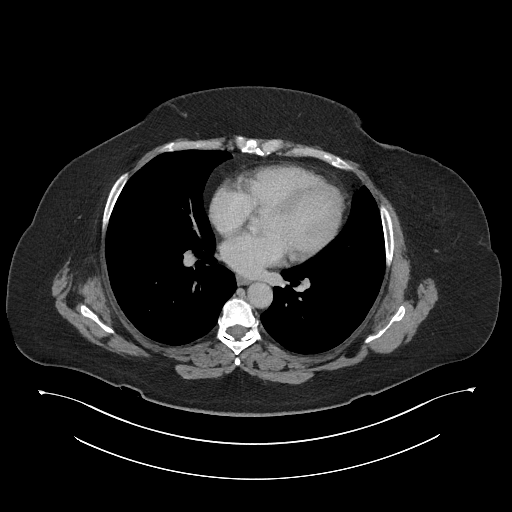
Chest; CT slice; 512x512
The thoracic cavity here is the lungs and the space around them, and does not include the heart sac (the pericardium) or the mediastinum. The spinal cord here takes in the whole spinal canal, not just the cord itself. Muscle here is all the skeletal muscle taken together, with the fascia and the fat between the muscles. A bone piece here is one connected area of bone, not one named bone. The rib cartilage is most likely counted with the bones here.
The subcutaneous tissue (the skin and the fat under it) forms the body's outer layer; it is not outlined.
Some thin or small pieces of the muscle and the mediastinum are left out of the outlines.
The torso is outlined by 239,85 291,88 333,99 355,111 374,139 432,157 466,182 484,212 501,272 495,325 478,351 344,405 285,415 230,416 155,403 129,387 114,386 74,369 37,363 18,349 6,311 11,259 58,172 172,97. The spinal cord is outlined by 235,325 239,325 240,326 242,326 243,327 244,327 246,329 246,331 245,332 244,335 243,336 242,336 239,339 235,339 235,338 232,335 231,335 230,334 230,333 228,331 228,330 231,327 232,327. The thoracic cavity appears in 2 outlined pieces: piece 1: 182,150 226,150 231,155 215,166 209,174 203,190 203,204 216,242 214,255 220,264 233,273 236,287 221,307 216,329 191,343 169,345 155,341 140,332 120,308 109,279 105,237 113,209 129,177 158,154; piece 2: 363,184 367,187 378,206 382,228 385,270 379,291 363,320 347,338 335,347 313,354 300,354 288,351 265,332 259,318 260,315 273,301 273,288 278,284 281,271 309,260 323,250 338,235 348,219 352,196. The mediastinum appears in 3 outlined pieces: piece 1: 224,148 236,148 242,153 262,157 277,153 317,158 335,168 351,171 362,184 353,192 351,203 346,185 337,175 319,164 289,160 252,161 237,167 219,182 209,198 208,217 204,190 214,168 232,157; piece 2: 281,269 279,274 280,275 277,279 277,284 272,288 273,292 272,301 269,306 259,315 259,317 255,315 253,307 249,302 242,297 232,296 236,290 237,285 235,275 231,270 239,276 257,278 263,276 268,272; piece 3: 216,249 217,249 217,254 218,255 218,256 219,257 219,259 220,260 221,260 230,269 229,269 225,265 224,265 223,264 222,264 221,263 220,263 218,261 218,258 215,255 215,252 216,251. The bones appear in 8 outlined pieces: piece 1: 231,297 242,298 251,305 254,315 260,321 259,329 262,335 262,339 255,341 243,349 237,355 240,360 240,363 238,365 234,363 234,360 236,357 234,352 215,336 217,329 217,320 221,314 222,307 225,302, around a hole outlined by 235,325 239,325 240,326 242,326 243,327 244,327 246,329 246,331 245,332 244,335 243,336 242,336 239,339 235,339 235,338 232,335 231,335 230,334 230,333 228,331 228,330 231,327 232,327; piece 2: 235,135 242,135 247,138 249,137 261,138 264,140 270,138 279,138 284,141 285,146 281,151 272,152 267,155 264,155 263,156 258,155 255,153 242,152 236,147 232,147 228,143 228,140 231,139; piece 3: 295,146 308,146 315,149 323,150 329,152 334,155 337,155 349,163 353,168 351,170 346,170 345,169 338,168 333,166 322,159 313,156 295,156 294,155 286,154 286,151 288,149 292,148; piece 4: 213,138 216,138 217,139 224,139 225,140 225,141 223,143 223,148 221,149 182,149 181,150 175,150 174,151 165,151 164,152 161,152 160,153 160,149 161,147 164,144 171,141 197,140 198,139 212,139; piece 5: 381,203 384,204 389,211 392,220 392,227 393,228 394,250 393,251 393,256 391,260 391,263 388,266 386,266 386,262 385,261 385,242 384,241 383,228 382,227 381,216 380,215 380,210 379,209 379,205; piece 6: 124,172 128,172 129,176 125,184 123,186 114,204 114,206 112,209 112,211 111,212 107,226 106,228 103,228 102,227 102,215 103,214 104,206 105,205 109,191 115,180 122,173; piece 7: 400,305 403,305 405,307 405,313 403,317 398,321 394,321 379,337 375,339 373,339 371,341 367,343 365,343 364,342 364,340 369,335 376,333 380,329 381,329 387,324 387,323 390,320 391,317 395,313; piece 8: 82,304 84,304 86,306 87,306 94,313 95,313 105,324 106,324 108,326 112,328 114,332 113,333 109,333 108,332 106,332 104,331 93,320 92,320 88,317 86,317 84,316 80,311 80,306. The pericardium is outlined by 260,161 289,161 319,165 331,174 337,176 345,185 349,193 350,205 347,217 340,231 318,253 300,264 268,271 257,277 248,277 239,275 220,259 217,248 218,243 209,219 209,203 214,190 227,175 237,168. The muscle appears in 3 outlined pieces: piece 1: 161,144 159,153 131,175 124,171 114,180 101,215 110,287 119,308 140,333 155,342 183,346 215,330 215,338 235,355 236,366 241,363 238,355 263,339 261,330 283,349 300,355 329,351 347,339 364,320 380,291 386,267 392,263 395,240 387,206 382,202 378,205 352,171 354,167 341,156 356,161 391,200 404,234 413,279 417,282 430,277 435,282 438,299 411,340 390,353 371,354 354,365 318,371 298,384 264,381 237,367 216,378 184,379 88,341 57,311 51,294 53,278 69,256 79,268 94,252 94,220 112,176 135,156 with holes at 400,305 403,305 405,307 405,313 403,317 398,321 394,321 379,337 375,339 373,339 371,341 367,343 365,343 364,342 364,340 369,335 376,333 380,329 381,329 387,324 387,323 390,320 391,317 395,313 and at 82,304 84,304 86,306 87,306 94,313 95,313 105,324 106,324 108,326 112,328 114,332 113,333 109,333 108,332 106,332 104,331 93,320 92,320 88,317 86,317 84,316 80,311 80,306; piece 2: 229,132 231,133 239,134 235,134 233,135 231,138 227,140 227,143 230,146 231,146 232,148 233,148 227,148 226,147 224,147 224,143 226,141 226,140 224,138 217,138 216,137 213,137 212,138 198,138 197,139 183,139 182,140 171,140 173,140 178,137 187,137 190,139 196,139 197,138 209,138 210,137 219,136 220,135 222,135; piece 3: 280,138 283,138 284,139 288,139 297,143 302,143 303,144 306,144 307,145 318,145 323,149 315,148 308,145 295,145 292,147 288,148 285,151 285,153 278,153 277,152 281,152 286,146 286,143 285,141 284,140 283,139 282,138.